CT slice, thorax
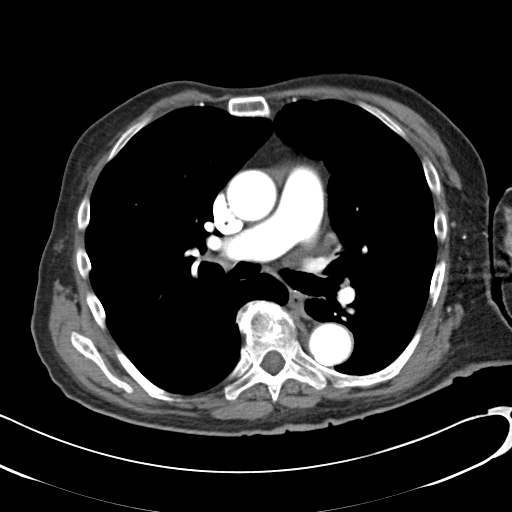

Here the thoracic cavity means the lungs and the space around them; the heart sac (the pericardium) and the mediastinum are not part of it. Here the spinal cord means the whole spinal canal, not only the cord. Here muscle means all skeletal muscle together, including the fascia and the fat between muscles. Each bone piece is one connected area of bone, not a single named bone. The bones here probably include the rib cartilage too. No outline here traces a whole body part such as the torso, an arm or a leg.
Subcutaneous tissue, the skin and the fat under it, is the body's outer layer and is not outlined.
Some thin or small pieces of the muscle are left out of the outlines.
thoracic cavity: 293,97 354,104 420,160 436,256 415,332 379,370 333,367 354,336 305,308 336,238 331,173 273,128 212,215 217,261 270,276 286,302 246,302 232,370 170,392 119,347 92,287 94,186 176,109 272,123
bones 1: 252,300 280,305 293,320 303,350 320,364 345,374 379,371 398,357 418,328 421,336 399,372 387,380 344,387 334,387 328,381 316,389 288,378 275,402 262,382 229,400 223,381 237,364 245,343 236,317; inner edge: 270,351 276,351 278,353 279,353 280,354 281,357 283,359 283,360 284,361 284,363 283,364 282,367 276,373 271,373 270,372 267,371 265,369 264,369 261,366 261,363 262,362 265,355 268,352 269,352
bones 2: 257,94 258,95 261,95 267,101 268,104 270,106 271,108 271,114 269,118 268,117 261,117 260,116 254,116 253,117 251,116 235,116 230,114 227,111 226,108 227,107 228,101 230,98 234,96 256,95
bones 3: 73,331 75,331 89,338 92,341 93,344 99,352 108,370 113,375 119,379 122,380 124,382 127,383 132,388 133,390 132,392 129,393 110,381 96,363 95,363 91,359 84,356 73,346 70,339 71,333
bones 4: 115,347 118,347 130,360 130,361 135,366 135,367 153,384 171,393 173,396 177,396 178,397 180,397 182,399 182,400 180,401 168,401 167,400 163,400 162,399 159,399 158,398 150,396 121,365 114,351
bones 5: 147,115 151,115 152,116 152,120 149,123 145,125 137,132 136,132 128,140 128,141 124,145 124,146 108,162 106,162 107,157 111,149 113,147 113,146 115,144 117,140 120,137 120,136 130,126 138,122
bones 6: 359,100 360,101 363,101 366,103 368,103 373,106 375,106 379,108 382,111 387,114 403,130 407,137 407,140 405,140 401,136 393,131 381,120 380,120 373,114 357,105 356,104 356,101 358,101
bones 7: 442,259 445,261 445,269 444,270 444,274 443,275 443,280 441,284 441,288 440,289 436,303 434,306 432,306 431,305 431,301 429,298 429,290 430,289 431,278 432,277 433,271 434,270 436,263
bones 8: 87,291 92,291 95,294 95,295 98,298 104,310 104,312 105,313 105,323 106,324 106,328 104,330 103,330 99,326 99,325 95,320 90,310 90,308 88,306 86,302 86,293
bones 9: 424,158 427,158 432,163 432,164 434,166 437,172 437,174 439,178 439,181 440,182 440,193 438,196 433,194 431,192 430,188 428,185 428,183 427,182 427,180 425,176 425,173 423,169 422,162 421,161
bones 10: 85,195 87,195 90,198 90,202 89,203 89,221 88,222 88,224 87,225 85,230 84,231 82,231 78,228 78,223 77,222 77,213 78,212 78,208 79,207 80,202 83,198 83,197
bones 11: 80,246 81,247 83,247 85,249 86,253 88,256 89,261 90,262 90,265 91,266 91,268 89,271 88,277 85,279 81,276 80,272 78,269 78,267 77,266 77,262 76,261 76,251 77,250 77,248
bones 12: 440,209 442,210 445,214 445,217 446,218 446,223 445,224 445,227 447,228 446,230 446,235 445,236 445,238 442,242 437,240 437,238 435,235 435,231 434,230 434,217 435,216 435,212
muscle: 306,85 343,86 391,98 418,113 445,146 461,182 450,262 464,310 445,360 429,376 396,395 307,408 276,405 265,417 254,420 148,414 87,391 58,355 48,327 53,283 69,246 80,185 93,159 122,128 159,99 189,88 217,96 242,95 230,97 225,108 201,100 153,120 147,114 130,125 110,149 90,197 85,194 77,208 84,247 76,248 75,261 80,276 89,278 93,290 86,291 85,302 98,326 103,331 107,328 117,344 113,351 123,369 150,397 163,401 180,402 183,399 173,394 191,395 223,382 222,392 229,401 262,383 275,403 288,379 316,390 328,382 334,388 368,387 393,378 408,361 422,336 418,325 428,298 432,307 436,305 446,269 444,259 436,262 437,241 445,240 448,229 445,212 434,210 432,194 438,197 441,193 438,172 427,157 419,158 404,130 387,113 363,100 355,104 293,96 271,107 258,94, around a hole outlined by 73,331 75,331 89,338 92,341 93,344 99,352 108,370 113,375 119,379 122,380 124,382 127,383 132,388 133,390 132,392 129,393 110,381 96,363 95,363 91,359 84,356 73,346 70,339 71,333
spinal cord: 270,351 276,351 278,353 279,353 280,354 281,357 283,359 283,360 284,361 284,363 283,364 282,367 276,373 271,373 270,372 267,371 265,369 264,369 261,366 261,363 262,362 265,355 268,352 269,352
mediastinum 1: 273,129 330,173 327,210 335,238 323,275 306,276 306,291 315,296 304,308 321,322 344,325 353,336 349,357 332,366 302,347 282,306 288,299 282,283 264,273 228,270 218,261 222,235 214,225 214,200
mediastinum 2: 285,101 288,101 287,102 286,102 280,108 280,109 279,109 277,111 277,112 274,116 274,118 273,119 272,122 270,119 270,117 272,114 272,108 274,106 276,106 277,105 280,104 282,102 284,102